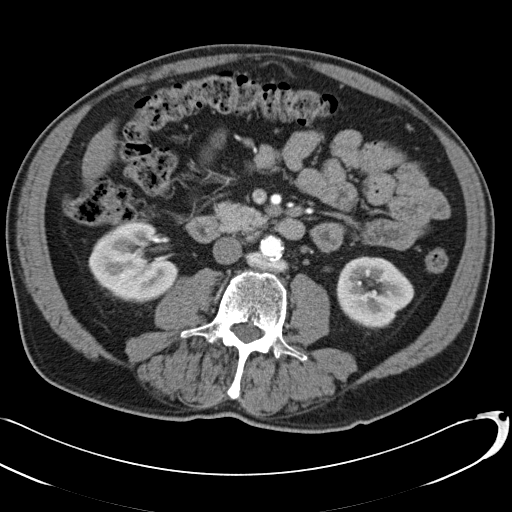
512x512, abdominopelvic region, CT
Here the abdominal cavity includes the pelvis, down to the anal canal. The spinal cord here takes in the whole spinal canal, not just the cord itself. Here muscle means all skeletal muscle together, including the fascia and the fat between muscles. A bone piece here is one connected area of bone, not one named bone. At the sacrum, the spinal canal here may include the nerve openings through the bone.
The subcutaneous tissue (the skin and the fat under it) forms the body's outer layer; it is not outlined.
{"muscle":[[[262,52],[347,68],[408,100],[467,156],[481,185],[486,220],[485,253],[475,297],[463,327],[444,349],[400,373],[360,384],[322,406],[279,418],[252,415],[236,399],[241,395],[241,379],[251,353],[271,351],[275,359],[281,355],[302,362],[308,359],[283,336],[293,320],[296,300],[290,293],[290,283],[297,274],[305,274],[322,286],[330,303],[329,331],[308,348],[330,347],[350,353],[357,365],[356,376],[412,343],[432,321],[449,290],[466,237],[464,196],[439,138],[405,107],[348,85],[305,63],[262,55],[172,74],[118,90],[92,106],[76,126],[51,175],[44,209],[49,257],[67,306],[106,350],[124,358],[128,338],[162,329],[155,324],[154,310],[181,276],[191,276],[204,268],[223,272],[210,307],[211,320],[179,333],[182,339],[199,336],[210,344],[219,339],[224,346],[237,351],[235,371],[226,390],[231,399],[214,406],[180,408],[168,404],[150,393],[130,370],[101,359],[88,358],[61,338],[28,291],[16,243],[18,204],[30,164],[47,136],[62,120],[122,81],[161,65],[218,54]]],"torso":[[[213,43],[297,47],[365,65],[414,92],[467,145],[488,185],[495,238],[475,339],[450,382],[368,424],[294,433],[252,426],[234,417],[172,421],[119,411],[52,385],[31,365],[19,333],[5,245],[9,192],[26,152],[54,118],[110,77],[165,53]]],"bones":[{"outer":[[244,270],[265,271],[279,279],[287,297],[282,336],[307,359],[288,354],[275,358],[271,350],[251,352],[240,379],[240,395],[232,399],[227,390],[237,367],[237,349],[224,345],[219,338],[210,343],[203,336],[182,338],[180,333],[210,322],[222,290]],"hole":[[240,323],[248,323],[249,324],[251,324],[253,326],[256,327],[261,332],[261,335],[258,338],[257,338],[256,339],[254,339],[249,342],[244,342],[243,341],[242,341],[235,334],[235,333],[232,330],[232,328],[235,325],[236,325],[237,324],[239,324]]}],"spinal_cord":[[[240,323],[248,323],[249,324],[251,324],[253,326],[256,327],[261,332],[261,335],[258,338],[257,338],[256,339],[254,339],[249,342],[244,342],[243,341],[242,341],[235,334],[235,333],[232,330],[232,328],[235,325],[236,325],[237,324],[239,324]]],"abdominal_cavity":[[[262,56],[405,108],[461,188],[464,243],[440,307],[360,375],[350,352],[309,348],[331,303],[305,273],[289,283],[283,332],[274,273],[232,276],[213,317],[225,273],[181,275],[153,310],[161,329],[128,337],[119,357],[54,272],[48,190],[92,107]]]}